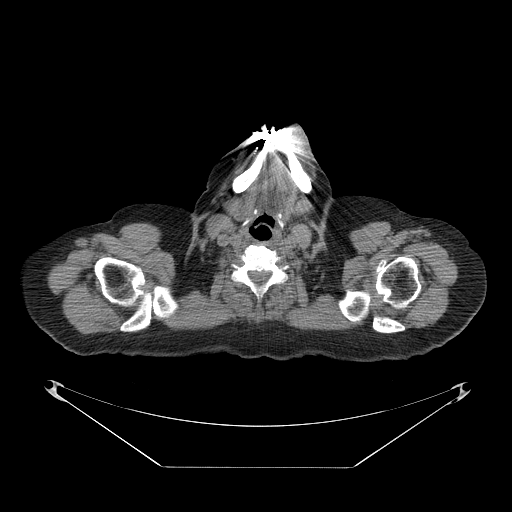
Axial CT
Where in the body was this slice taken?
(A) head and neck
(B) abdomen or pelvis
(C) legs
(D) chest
Answer: (A) head and neck
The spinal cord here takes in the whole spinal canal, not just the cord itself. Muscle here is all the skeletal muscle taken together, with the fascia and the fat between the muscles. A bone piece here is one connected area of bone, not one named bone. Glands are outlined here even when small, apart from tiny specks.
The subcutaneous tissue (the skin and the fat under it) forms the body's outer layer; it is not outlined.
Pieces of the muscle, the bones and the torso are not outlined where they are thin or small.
{"head_and_neck":[{"outer":[[280,119],[299,124],[307,138],[311,152],[329,179],[332,197],[328,209],[328,220],[320,235],[314,269],[303,292],[290,310],[279,320],[262,328],[251,329],[232,315],[199,260],[195,245],[195,203],[206,187],[210,170],[220,157],[243,143],[262,125]],"hole":[[263,215],[269,216],[269,217],[273,220],[273,225],[270,228],[270,230],[271,231],[271,235],[266,239],[259,239],[257,237],[255,237],[253,235],[252,235],[251,233],[250,233],[250,227],[252,225],[254,220],[255,220],[256,218],[260,216],[262,216]]}],"bones":[[[108,256],[140,267],[145,278],[141,288],[145,291],[151,292],[156,285],[169,286],[178,302],[174,313],[166,318],[158,318],[153,314],[146,328],[135,332],[121,331],[120,326],[136,310],[138,304],[122,306],[110,302],[102,294],[93,267],[99,258]],[[404,254],[407,254],[412,257],[418,264],[419,268],[418,277],[421,289],[417,297],[411,301],[406,307],[397,309],[392,307],[388,303],[384,302],[382,300],[382,296],[377,293],[375,288],[376,281],[375,269],[380,260],[384,258],[391,260],[397,256]],{"outer":[[249,244],[263,244],[268,248],[275,250],[278,255],[284,257],[282,261],[283,263],[289,266],[286,270],[288,276],[287,279],[282,283],[271,285],[259,303],[256,296],[247,285],[231,279],[231,273],[233,270],[231,264],[238,260],[238,255],[241,254]],"hole":[[249,271],[257,271],[258,272],[261,272],[262,271],[269,271],[270,272],[270,275],[269,276],[269,277],[267,279],[267,280],[264,283],[262,283],[261,284],[257,284],[256,283],[255,283],[249,277],[249,275],[248,274],[248,272]]},[[276,135],[284,135],[290,138],[293,153],[310,177],[312,185],[311,191],[305,193],[298,188],[288,173],[287,163],[283,153],[280,151],[273,151],[267,155],[265,166],[261,169],[251,184],[245,190],[235,193],[232,189],[233,179],[252,163],[263,143]],[[345,290],[351,290],[352,291],[356,291],[357,290],[362,290],[363,291],[366,291],[370,294],[371,296],[371,305],[369,307],[369,313],[365,318],[361,319],[359,321],[355,321],[354,322],[353,321],[349,320],[342,314],[338,306],[338,300],[344,295]],[[374,314],[378,314],[382,316],[388,316],[395,320],[397,320],[405,327],[405,329],[403,331],[399,331],[398,332],[394,332],[393,333],[380,333],[379,332],[377,332],[375,331],[372,328],[372,320],[373,319],[373,316]]],"spinal_cord":[[[249,271],[257,271],[258,272],[261,272],[262,271],[269,271],[270,272],[270,275],[269,276],[269,277],[267,279],[267,280],[264,283],[262,283],[261,284],[257,284],[256,283],[255,283],[249,277],[249,275],[248,274],[248,272]]],"left_arm":[[[343,195],[366,195],[388,200],[401,210],[412,215],[444,220],[457,227],[467,237],[470,245],[483,259],[486,269],[487,290],[482,306],[460,333],[445,344],[438,343],[385,321],[375,315],[367,307],[350,277],[335,241],[330,207],[333,196],[338,197]]],"muscle":[{"outer":[[284,128],[295,130],[308,149],[317,186],[317,244],[331,281],[340,280],[351,230],[382,220],[423,226],[459,265],[443,316],[406,330],[378,313],[372,329],[302,330],[275,320],[152,329],[153,315],[166,319],[179,307],[172,288],[143,289],[140,266],[108,255],[92,267],[101,294],[112,304],[137,307],[115,333],[74,329],[46,284],[48,270],[69,244],[119,225],[155,224],[170,245],[183,287],[220,183],[250,141]],"holes":[[[249,244],[263,244],[268,248],[275,250],[278,255],[284,257],[282,261],[283,263],[289,266],[286,270],[288,276],[287,279],[282,283],[271,285],[259,303],[256,296],[247,285],[231,279],[231,273],[233,270],[231,264],[238,260],[238,255],[241,254]],[[404,254],[407,254],[412,257],[418,264],[419,268],[418,277],[421,289],[417,297],[411,301],[406,307],[397,309],[392,307],[388,303],[384,302],[382,300],[382,296],[377,293],[375,288],[376,281],[375,269],[380,260],[384,258],[391,260],[397,256]],[[276,135],[284,135],[290,138],[293,153],[310,177],[312,185],[311,191],[305,193],[298,188],[288,173],[287,163],[283,153],[280,151],[273,151],[267,155],[265,166],[261,169],[251,184],[245,190],[235,193],[232,189],[233,179],[252,163],[263,143]],[[345,290],[351,290],[352,291],[356,291],[357,290],[362,290],[363,291],[366,291],[370,294],[371,296],[371,305],[369,307],[369,313],[365,318],[361,319],[359,321],[355,321],[354,322],[353,321],[349,320],[342,314],[338,306],[338,300],[344,295]],[[263,215],[269,216],[269,217],[273,220],[273,225],[270,228],[270,230],[271,231],[271,235],[266,239],[259,239],[257,237],[255,237],[253,235],[252,235],[251,233],[250,233],[250,227],[252,225],[254,220],[255,220],[256,218],[260,216],[262,216]],[[233,196],[238,196],[240,197],[243,201],[243,210],[244,211],[244,215],[242,219],[240,220],[228,214],[227,212],[225,210],[224,210],[223,208],[223,205],[224,204],[224,202],[225,200]],[[301,198],[306,198],[308,199],[309,201],[309,203],[311,205],[311,207],[312,208],[311,211],[309,213],[304,213],[303,214],[298,214],[292,211],[292,207],[294,207],[296,205],[296,203],[297,201]],[[277,213],[280,213],[282,215],[282,220],[283,221],[283,223],[284,224],[284,225],[283,226],[283,228],[282,229],[281,229],[281,228],[280,227],[280,226],[279,225],[279,224],[276,221],[276,220],[275,219],[275,216],[276,215],[276,214]]]}],"submandibular_glands":[[[233,196],[238,196],[240,197],[243,201],[243,210],[244,211],[244,215],[242,219],[240,220],[228,214],[227,212],[225,210],[224,210],[223,208],[223,205],[224,204],[224,202],[225,200]],[[301,198],[306,198],[308,199],[309,201],[309,203],[311,205],[311,207],[312,208],[311,211],[309,213],[304,213],[303,214],[298,214],[292,211],[292,207],[294,207],[296,205],[296,203],[297,201]]],"torso":[[[329,209],[335,244],[366,307],[385,322],[442,346],[406,360],[374,362],[341,361],[321,355],[281,361],[266,356],[245,359],[225,352],[175,358],[89,355],[104,346],[135,306],[188,258],[194,229],[198,260],[231,315],[251,330],[279,321],[312,278]]],"right_arm":[[[144,202],[172,204],[183,206],[192,210],[193,243],[187,258],[151,294],[134,306],[128,317],[111,338],[100,348],[88,355],[80,355],[65,349],[40,329],[26,311],[18,279],[18,273],[23,259],[38,246],[74,227],[107,221],[114,212],[121,207]]]}